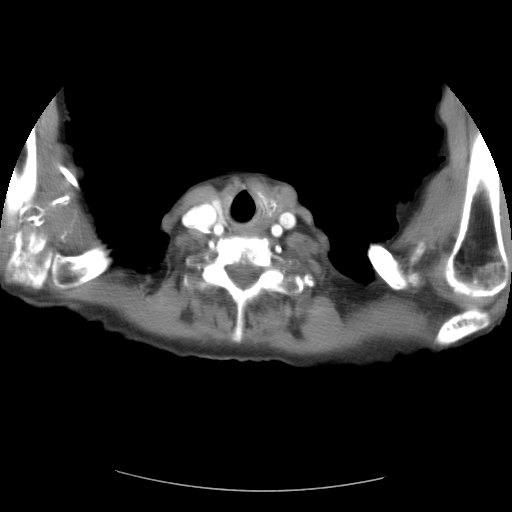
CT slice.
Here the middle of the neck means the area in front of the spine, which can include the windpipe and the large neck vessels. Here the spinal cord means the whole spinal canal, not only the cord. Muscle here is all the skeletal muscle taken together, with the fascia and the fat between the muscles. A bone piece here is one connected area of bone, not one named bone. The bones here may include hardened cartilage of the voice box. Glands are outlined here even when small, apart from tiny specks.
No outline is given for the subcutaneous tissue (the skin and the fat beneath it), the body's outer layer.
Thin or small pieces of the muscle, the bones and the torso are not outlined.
Outlined structures:
middle of the neck: [[241,187],[255,192],[267,217],[271,217],[277,208],[279,212],[292,213],[296,218],[296,223],[291,230],[277,237],[243,234],[216,237],[182,223],[182,215],[192,205],[209,202],[214,208],[219,224],[223,226],[226,223],[223,214],[223,198],[238,191]]
right arm: [[62,88],[64,89],[67,107],[71,115],[71,121],[65,126],[66,137],[67,141],[75,148],[74,155],[76,161],[84,165],[92,210],[45,236],[19,243],[0,245],[0,221],[3,205],[19,151],[36,125],[35,123],[40,115],[54,95]]
bones 1: [[34,126],[37,161],[34,199],[46,208],[41,227],[47,239],[36,260],[39,263],[49,250],[78,255],[100,245],[112,258],[102,273],[75,286],[58,287],[50,275],[39,289],[12,280],[6,268],[10,250],[0,246],[0,221],[8,185],[19,151]]
bones 2: [[477,130],[480,132],[490,152],[499,175],[500,226],[501,227],[503,245],[508,258],[510,269],[507,285],[496,294],[491,296],[471,298],[453,291],[445,280],[444,266],[453,247],[459,229],[466,191],[466,181],[470,157],[470,143],[472,137]]
bones 3: [[231,235],[267,237],[271,250],[281,259],[274,258],[273,264],[286,277],[308,274],[315,282],[313,286],[305,285],[298,294],[263,291],[245,308],[240,342],[232,339],[237,311],[227,292],[217,286],[196,287],[203,266],[217,255],[210,246],[219,238]] with a hole at [[234,264],[250,264],[255,267],[259,267],[261,269],[261,271],[257,279],[252,284],[251,284],[248,287],[246,288],[241,288],[239,287],[232,280],[232,279],[229,276],[228,274],[228,272],[227,271],[227,269],[226,268],[227,266],[229,265],[233,265]]
bones 4: [[370,242],[376,242],[379,243],[389,251],[397,261],[400,269],[405,276],[410,272],[416,272],[418,274],[419,277],[418,282],[416,284],[412,284],[409,282],[405,288],[399,290],[396,290],[390,287],[375,271],[367,257],[366,251]]
bones 5: [[473,308],[476,308],[481,311],[483,311],[488,315],[488,317],[489,318],[489,324],[486,327],[484,327],[448,345],[442,345],[436,342],[436,340],[435,339],[436,338],[436,335],[440,327],[446,320],[458,313],[460,313],[468,309],[472,309]]
bones 6: [[420,241],[422,241],[424,243],[424,245],[425,246],[424,251],[419,257],[419,258],[416,261],[415,261],[413,263],[411,263],[411,262],[410,261],[410,256],[412,254],[412,253],[413,252],[414,247],[416,245],[416,244],[418,242],[419,242]]
thyroid glands 1: [[256,191],[259,191],[260,192],[262,192],[266,196],[267,196],[270,199],[273,200],[277,204],[277,207],[276,208],[275,211],[271,216],[267,216],[266,215],[266,213],[265,212],[265,209],[262,205],[262,204],[260,202],[260,201],[257,196]]
thyroid glands 2: [[216,198],[221,199],[223,202],[223,204],[222,205],[222,214],[223,215],[223,219],[225,223],[223,225],[220,224],[218,220],[218,218],[217,217],[216,212],[215,211],[215,208],[213,204],[211,202],[212,200]]
left arm: [[442,83],[447,84],[472,117],[490,152],[499,178],[502,179],[511,229],[511,282],[504,316],[481,312],[449,290],[425,266],[397,231],[395,200],[411,198],[414,188],[422,177],[435,169],[443,159],[436,155],[442,130],[433,118],[435,102],[440,95]]
spinal cord: [[234,264],[250,264],[255,267],[259,267],[261,269],[261,271],[257,279],[252,284],[251,284],[248,287],[246,288],[241,288],[239,287],[232,280],[232,279],[229,276],[228,274],[228,272],[227,271],[227,269],[226,268],[227,266],[229,265],[233,265]]
head and neck: [[235,168],[259,169],[292,184],[299,200],[311,211],[315,223],[327,234],[331,244],[329,257],[337,269],[325,300],[309,324],[285,347],[245,361],[208,354],[190,337],[169,304],[163,268],[159,260],[167,240],[166,236],[158,231],[162,216],[194,183]]
torso 1: [[396,231],[449,291],[481,313],[503,317],[499,327],[458,349],[436,355],[421,352],[406,360],[399,359],[390,367],[371,371],[354,367],[300,369],[275,361],[246,361],[289,345],[314,319],[338,270],[368,282],[373,276],[366,254],[368,245],[390,238]]
torso 2: [[92,211],[95,214],[97,231],[112,248],[111,255],[115,260],[136,267],[146,266],[158,260],[162,268],[167,301],[178,323],[206,354],[233,360],[178,357],[106,333],[99,324],[85,322],[64,309],[32,309],[3,292],[0,287],[0,246],[45,237]]
muscle: [[446,83],[477,129],[444,280],[471,299],[505,288],[503,310],[491,325],[476,307],[441,324],[434,339],[448,346],[312,358],[186,343],[143,332],[99,306],[33,303],[0,285],[1,246],[9,250],[9,278],[36,290],[49,276],[61,289],[81,285],[113,261],[102,244],[78,254],[49,249],[36,258],[48,239],[42,227],[47,208],[35,199],[35,123],[55,94],[58,141],[77,169],[83,210],[116,261],[136,267],[155,262],[167,240],[162,224],[190,190],[205,183],[220,189],[232,177],[251,176],[293,190],[327,234],[329,257],[346,276],[368,282],[370,263],[393,290],[416,285],[419,274],[405,275],[381,244],[398,238],[420,208],[426,185],[448,163],[439,115]]; inner edges: [[241,187],[262,192],[279,212],[295,216],[291,230],[267,237],[281,259],[272,261],[286,277],[308,274],[315,283],[298,294],[263,291],[245,308],[235,342],[230,296],[217,286],[196,287],[203,266],[217,255],[210,246],[219,238],[187,227],[182,215]], then [[420,241],[422,241],[424,243],[424,245],[425,246],[424,251],[419,257],[419,258],[416,261],[415,261],[413,263],[411,263],[411,262],[410,261],[410,256],[412,254],[412,253],[413,252],[414,247],[416,245],[416,244],[418,242],[419,242]], then [[185,276],[186,276],[187,277],[188,278],[188,279],[188,280],[188,281],[189,282],[189,283],[189,284],[189,285],[188,286],[187,286],[186,286],[185,286],[184,285],[183,284],[183,283],[183,282],[183,281],[183,280],[183,279],[183,278],[184,277]]